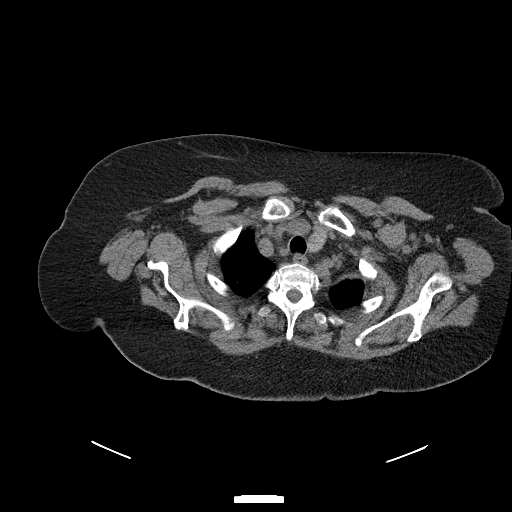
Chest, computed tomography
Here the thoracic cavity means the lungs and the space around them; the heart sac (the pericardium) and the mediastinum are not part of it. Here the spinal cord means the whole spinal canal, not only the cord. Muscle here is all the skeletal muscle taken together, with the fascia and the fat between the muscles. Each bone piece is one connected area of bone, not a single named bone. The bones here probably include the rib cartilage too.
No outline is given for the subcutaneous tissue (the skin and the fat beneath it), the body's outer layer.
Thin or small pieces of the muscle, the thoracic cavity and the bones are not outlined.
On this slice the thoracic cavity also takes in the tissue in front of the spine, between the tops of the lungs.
{"muscle":[{"outer":[[208,175],[236,183],[279,180],[311,200],[337,194],[377,201],[385,195],[406,199],[435,216],[420,221],[420,230],[439,237],[445,246],[458,236],[470,238],[492,255],[494,269],[479,288],[477,318],[467,326],[446,326],[423,336],[433,297],[453,286],[451,277],[437,270],[414,301],[354,338],[360,347],[375,329],[409,315],[412,326],[405,340],[411,343],[391,354],[341,359],[286,342],[248,355],[221,353],[186,331],[189,311],[213,313],[225,331],[235,321],[200,297],[178,293],[169,282],[165,260],[150,258],[146,266],[161,272],[163,286],[178,303],[172,323],[165,312],[134,300],[133,292],[98,262],[106,243],[126,227],[184,235],[186,224],[177,209],[162,200]],"holes":[[[329,205],[338,205],[355,229],[351,236],[338,231],[340,240],[354,247],[359,258],[377,269],[375,278],[363,279],[364,299],[385,296],[373,311],[363,313],[359,305],[337,309],[323,291],[312,308],[297,316],[292,338],[288,341],[286,316],[266,300],[263,289],[248,296],[231,290],[222,295],[209,284],[208,271],[223,279],[213,240],[227,229],[243,222],[245,230],[259,223],[283,222],[304,214],[319,224],[320,211]],[[272,195],[281,196],[289,200],[289,201],[292,203],[293,205],[292,207],[292,210],[291,212],[287,216],[287,217],[285,218],[279,218],[278,219],[275,219],[274,220],[264,220],[261,218],[261,213],[265,205],[265,202],[266,200],[270,196]],[[316,311],[323,311],[327,315],[328,315],[329,314],[335,314],[336,315],[343,318],[348,323],[349,323],[349,324],[342,324],[341,325],[334,325],[333,324],[330,323],[328,321],[325,324],[319,324],[316,321],[316,320],[313,316],[313,313]],[[264,304],[265,304],[266,305],[267,305],[270,308],[270,311],[267,314],[267,315],[266,315],[265,316],[260,316],[259,315],[258,315],[258,314],[257,313],[257,310],[258,309],[258,308],[261,305],[263,305]]]}],"spinal_cord":[[[290,290],[297,290],[301,294],[301,296],[300,297],[300,298],[297,301],[295,301],[294,302],[293,301],[291,301],[288,298],[288,297],[287,296],[287,293],[288,292],[288,291],[289,291]]],"thoracic_cavity":[[[304,214],[314,223],[335,230],[341,241],[357,250],[359,273],[364,285],[363,299],[359,305],[335,308],[324,291],[319,275],[311,267],[294,262],[280,263],[262,287],[248,296],[235,293],[223,280],[219,259],[236,242],[243,230],[259,223],[283,222]]],"torso":[[[200,133],[322,151],[441,152],[489,168],[504,196],[489,211],[509,226],[511,238],[507,302],[490,358],[457,380],[423,391],[379,391],[338,401],[249,400],[156,377],[131,363],[100,328],[74,332],[56,324],[40,299],[38,260],[85,174],[119,148]]],"bones":[{"outer":[[283,263],[294,263],[311,268],[318,275],[323,289],[315,305],[310,309],[302,311],[297,316],[293,327],[293,335],[289,341],[285,337],[287,327],[287,319],[285,314],[277,306],[266,300],[265,291],[262,289],[263,285],[272,273],[280,264]],"hole":[[290,290],[297,290],[301,294],[301,296],[300,297],[300,298],[297,301],[295,301],[294,302],[293,301],[291,301],[288,298],[288,297],[287,296],[287,293],[288,292],[288,291],[289,291]]},[[437,271],[449,276],[452,280],[452,286],[432,297],[430,309],[422,322],[422,336],[417,341],[408,342],[406,340],[412,329],[413,319],[409,314],[405,314],[372,330],[363,338],[360,346],[355,344],[355,338],[365,328],[376,324],[414,302],[427,279]],[[150,259],[155,262],[162,260],[167,263],[168,282],[178,294],[185,298],[200,298],[222,310],[231,317],[234,326],[225,330],[221,320],[213,312],[193,307],[188,311],[187,330],[176,329],[173,319],[179,309],[179,303],[164,286],[162,272],[147,266]],[[329,205],[338,205],[339,206],[343,214],[352,223],[352,224],[354,226],[354,228],[355,229],[355,233],[353,235],[351,236],[348,236],[329,226],[327,226],[319,222],[318,220],[318,215],[320,211],[323,210],[327,206]],[[272,195],[281,196],[289,200],[289,201],[292,203],[293,205],[292,207],[292,210],[291,212],[287,216],[287,217],[285,218],[279,218],[278,219],[275,219],[274,220],[264,220],[261,218],[261,213],[265,205],[265,202],[266,200],[270,196]],[[240,222],[243,222],[243,227],[242,228],[242,230],[238,235],[235,242],[229,248],[228,248],[226,250],[226,251],[219,258],[217,257],[217,256],[214,253],[213,251],[213,240],[215,238],[219,236],[227,229],[231,227],[236,227],[239,224]],[[316,311],[323,311],[327,315],[328,315],[329,314],[335,314],[336,315],[343,318],[348,323],[349,323],[349,324],[342,324],[341,325],[334,325],[333,324],[330,323],[328,321],[325,324],[319,324],[316,321],[316,320],[313,316],[313,313]],[[208,271],[209,272],[212,273],[214,275],[215,275],[217,277],[218,277],[223,281],[224,281],[229,286],[229,287],[231,290],[230,290],[228,292],[227,295],[222,295],[221,294],[218,293],[209,284],[209,283],[206,278],[206,272],[207,272]],[[381,294],[384,295],[385,297],[382,301],[379,307],[378,307],[376,309],[375,309],[373,311],[369,313],[363,313],[361,311],[362,310],[362,308],[360,306],[360,303],[364,299],[367,299],[368,298],[373,297],[376,295],[380,295]],[[360,258],[364,258],[368,262],[370,262],[373,265],[373,266],[376,269],[377,269],[377,274],[376,275],[375,278],[374,278],[373,279],[367,279],[366,278],[364,278],[361,275],[361,274],[360,273],[360,267],[359,266],[359,262],[360,261]],[[264,304],[265,304],[266,305],[267,305],[270,308],[270,311],[267,314],[267,315],[266,315],[265,316],[260,316],[259,315],[258,315],[258,314],[257,313],[257,310],[258,309],[258,308],[261,305],[263,305]]]}